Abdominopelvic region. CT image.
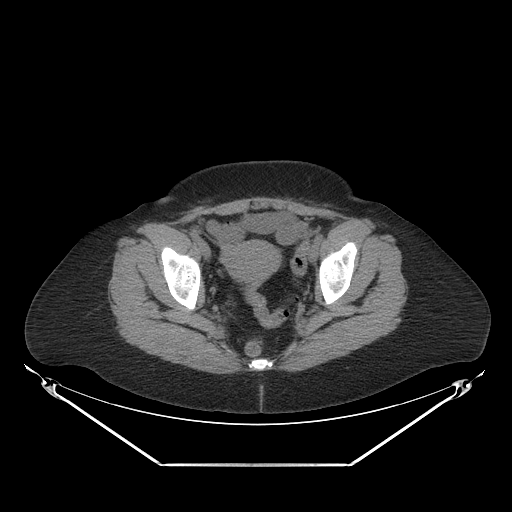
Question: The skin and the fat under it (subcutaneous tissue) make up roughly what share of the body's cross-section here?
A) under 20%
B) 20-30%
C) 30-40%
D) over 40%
Answer: D) over 40%
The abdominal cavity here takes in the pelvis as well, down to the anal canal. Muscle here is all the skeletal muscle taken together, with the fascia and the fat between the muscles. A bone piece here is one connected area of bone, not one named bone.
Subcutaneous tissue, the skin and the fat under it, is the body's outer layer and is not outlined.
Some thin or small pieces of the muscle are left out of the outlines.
{"muscle":[[[254,196],[389,228],[408,285],[398,326],[311,368],[272,370],[275,360],[268,358],[292,343],[298,320],[315,303],[317,273],[324,303],[332,304],[350,286],[359,248],[348,240],[320,260],[320,243],[335,222],[268,206],[202,214],[184,224],[199,263],[169,245],[159,253],[173,299],[193,311],[202,277],[205,308],[225,326],[230,345],[253,358],[247,366],[261,371],[200,371],[126,342],[107,300],[121,235],[141,222]]],"abdominal_cavity":[[[268,207],[287,209],[304,216],[317,216],[333,221],[334,225],[319,243],[314,303],[305,315],[297,320],[291,343],[271,357],[250,357],[243,355],[231,345],[227,338],[226,326],[206,308],[200,250],[184,225],[202,215],[228,215],[249,209]]],"bones":[[[164,246],[169,246],[180,254],[187,254],[194,258],[199,264],[201,271],[201,277],[200,278],[200,284],[198,290],[197,300],[195,304],[195,308],[193,310],[188,309],[184,305],[175,300],[169,291],[167,283],[163,275],[161,256],[160,255],[161,249]],[[348,241],[353,241],[358,248],[358,251],[356,254],[354,262],[354,271],[352,274],[349,286],[346,291],[339,298],[332,303],[326,304],[320,289],[320,284],[318,278],[318,271],[319,270],[320,261],[327,254],[332,251],[338,250]],[[254,358],[267,358],[268,359],[273,359],[274,360],[274,362],[273,363],[273,364],[272,365],[272,366],[271,367],[271,368],[270,369],[269,369],[267,367],[266,367],[263,370],[255,370],[254,369],[251,369],[248,366],[248,363],[252,359],[253,359]]],"torso":[[[270,159],[328,167],[343,176],[359,197],[386,205],[425,231],[475,281],[488,302],[491,325],[478,358],[430,368],[339,405],[292,413],[241,414],[149,399],[109,383],[87,368],[45,365],[29,353],[24,322],[31,300],[83,235],[161,197],[196,170]]]}